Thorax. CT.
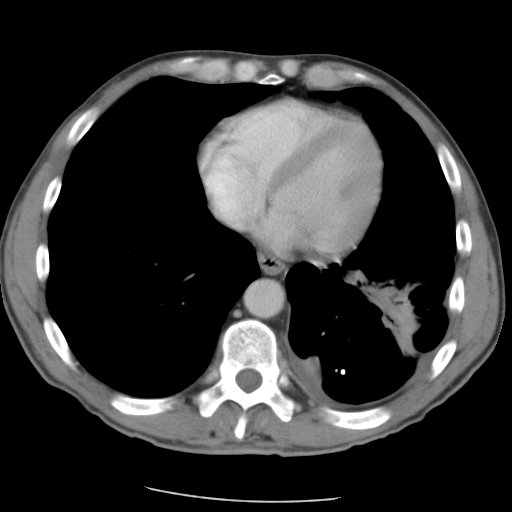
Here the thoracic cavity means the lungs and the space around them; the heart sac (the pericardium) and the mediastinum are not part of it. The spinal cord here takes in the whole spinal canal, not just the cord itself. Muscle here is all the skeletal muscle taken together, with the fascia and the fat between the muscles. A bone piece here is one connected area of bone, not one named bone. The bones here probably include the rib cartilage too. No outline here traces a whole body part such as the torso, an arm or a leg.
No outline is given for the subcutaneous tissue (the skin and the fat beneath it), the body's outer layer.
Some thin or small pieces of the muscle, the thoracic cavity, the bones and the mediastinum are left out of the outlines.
{"mediastinum":[[[240,234],[278,260],[306,260],[319,266],[332,262],[338,262],[363,237],[340,263],[336,262],[333,263],[324,268],[321,272],[308,262],[300,262],[288,270],[285,288],[291,311],[287,335],[279,343],[275,332],[255,318],[245,318],[229,324],[220,336],[228,312],[260,273],[252,244]],[[288,78],[295,78],[314,88],[344,88],[337,91],[324,90],[319,92],[317,95],[321,99],[327,101],[338,99],[347,104],[355,106],[361,110],[362,114],[359,111],[345,106],[323,103],[293,93],[280,93],[266,97],[276,90],[275,85],[283,83]]],"thoracic_cavity":[[[158,75],[204,83],[253,82],[272,85],[275,90],[219,119],[202,136],[195,154],[206,207],[217,222],[251,244],[259,273],[225,316],[219,332],[219,361],[177,393],[138,397],[119,392],[90,373],[51,315],[46,298],[48,223],[75,146],[122,96]],[[356,86],[375,88],[394,100],[435,151],[452,197],[456,252],[447,329],[429,368],[383,405],[342,410],[313,399],[296,384],[280,362],[279,344],[290,326],[289,270],[308,263],[321,273],[340,264],[363,239],[382,200],[385,163],[362,110],[318,95]]],"bones":[{"outer":[[245,319],[258,320],[274,332],[279,366],[291,382],[282,390],[300,409],[289,421],[282,421],[267,404],[257,403],[246,411],[244,435],[238,439],[234,428],[242,409],[235,401],[225,400],[204,417],[193,397],[206,386],[197,381],[220,361],[222,333]],"hole":[[244,369],[252,369],[253,370],[255,370],[257,372],[258,372],[260,374],[260,375],[261,376],[261,383],[259,385],[259,386],[250,392],[246,392],[244,390],[243,390],[238,385],[238,384],[236,381],[236,376],[237,375],[237,374],[240,371],[241,371]]},[[189,56],[198,57],[200,62],[222,59],[231,65],[249,61],[257,66],[260,76],[271,72],[279,74],[281,63],[295,60],[299,64],[299,73],[287,76],[283,82],[274,85],[235,81],[231,77],[224,82],[197,81],[190,73],[156,73],[156,69]],[[320,406],[327,406],[330,408],[342,411],[360,411],[370,409],[377,406],[385,406],[390,410],[391,416],[385,422],[376,427],[366,429],[351,429],[350,428],[344,428],[335,426],[328,422],[326,422],[324,420],[323,416],[320,413],[319,410]],[[115,393],[122,393],[129,396],[137,397],[138,398],[162,398],[175,394],[178,394],[179,396],[177,402],[173,406],[173,408],[170,410],[166,410],[163,412],[155,414],[149,414],[148,415],[132,415],[131,414],[122,413],[114,408],[110,404],[110,399]],[[312,65],[318,65],[322,67],[330,67],[335,70],[343,69],[361,72],[374,79],[377,82],[377,84],[375,86],[372,86],[364,83],[356,83],[353,81],[343,81],[330,88],[314,87],[308,85],[306,83],[306,79],[303,75],[304,70],[307,67]],[[47,316],[51,316],[52,317],[62,332],[68,344],[68,346],[72,353],[72,359],[75,363],[76,370],[73,370],[69,366],[68,366],[62,360],[62,359],[58,355],[58,354],[50,344],[46,336],[46,334],[43,327],[43,319]],[[439,143],[442,143],[446,146],[452,155],[457,165],[457,167],[459,171],[459,174],[460,175],[460,178],[461,179],[461,190],[459,192],[452,193],[450,190],[448,183],[445,178],[444,173],[442,170],[440,162],[438,159],[438,157],[435,150],[436,146]],[[94,106],[96,106],[98,107],[100,111],[100,114],[97,118],[97,119],[93,123],[93,124],[89,128],[89,129],[83,135],[83,136],[79,140],[79,141],[74,146],[69,146],[67,145],[65,142],[65,140],[72,125],[75,122],[75,121],[86,110]],[[451,339],[454,339],[456,340],[457,342],[456,349],[452,357],[450,359],[448,363],[445,366],[445,367],[442,370],[442,371],[433,379],[430,379],[429,377],[431,373],[431,370],[430,369],[430,365],[431,364],[432,360],[439,350],[440,347],[445,342]],[[456,276],[460,276],[462,277],[463,279],[463,282],[464,283],[464,304],[463,305],[463,307],[461,311],[459,313],[457,313],[456,312],[448,312],[448,310],[447,309],[447,302],[448,301],[448,295],[450,291],[450,286],[451,285],[451,283],[453,279]],[[461,218],[467,221],[469,225],[469,228],[470,229],[470,233],[471,234],[471,249],[470,250],[470,252],[469,254],[467,255],[461,255],[457,252],[457,249],[456,248],[456,234],[455,233],[455,227],[456,226],[456,222],[459,219]],[[41,242],[43,242],[47,244],[47,246],[48,247],[48,256],[49,257],[49,273],[48,274],[47,279],[43,282],[41,282],[38,279],[38,277],[37,276],[37,273],[36,272],[36,264],[35,263],[35,256],[36,255],[36,250],[37,249],[38,245]],[[55,176],[60,176],[62,178],[61,180],[61,187],[60,188],[60,190],[59,191],[59,193],[58,194],[57,199],[53,207],[51,209],[49,213],[46,213],[43,211],[43,201],[44,200],[44,197],[45,196],[45,193],[46,192],[47,187],[50,181]]],"pericardium":[[[280,94],[293,94],[323,104],[337,105],[359,112],[379,144],[383,159],[382,189],[379,203],[367,229],[359,241],[338,261],[319,265],[306,259],[294,261],[278,259],[255,245],[241,233],[218,221],[208,207],[196,161],[200,143],[222,118],[250,104]]],"muscle":[[[180,57],[101,114],[96,105],[86,109],[65,137],[74,147],[62,177],[55,175],[46,187],[47,243],[41,241],[34,256],[37,279],[46,281],[50,315],[42,327],[49,344],[73,371],[73,354],[117,391],[109,404],[125,415],[170,411],[178,393],[196,382],[205,386],[192,397],[199,414],[208,418],[225,401],[235,402],[241,409],[233,428],[238,440],[247,411],[257,404],[282,422],[301,409],[283,390],[292,382],[279,360],[308,397],[325,405],[318,410],[326,423],[351,430],[385,423],[392,416],[386,403],[428,369],[430,380],[437,377],[458,345],[454,338],[444,342],[448,313],[459,314],[465,304],[464,279],[453,278],[454,257],[472,249],[468,221],[455,219],[452,194],[462,190],[460,171],[447,146],[439,142],[434,149],[366,73],[312,64],[303,70],[305,83],[294,77],[300,73],[296,60],[341,62],[391,84],[438,128],[473,183],[495,260],[499,305],[490,340],[414,414],[331,446],[190,444],[122,425],[57,380],[37,357],[4,279],[14,212],[73,116],[140,68]],[[195,56],[210,56],[211,57],[230,57],[233,59],[253,58],[269,63],[276,62],[287,58],[295,59],[286,59],[281,62],[278,65],[279,73],[271,71],[263,75],[260,75],[258,66],[249,60],[238,60],[231,64],[227,60],[222,58],[200,61],[200,58],[199,57],[198,56]]],"spinal_cord":[[[244,369],[252,369],[253,370],[255,370],[257,372],[258,372],[260,374],[260,375],[261,376],[261,383],[259,385],[259,386],[250,392],[246,392],[244,390],[243,390],[238,385],[238,384],[236,381],[236,376],[237,375],[237,374],[240,371],[241,371]]]}